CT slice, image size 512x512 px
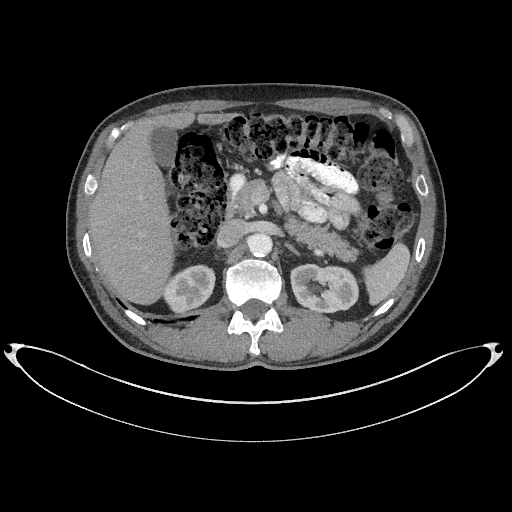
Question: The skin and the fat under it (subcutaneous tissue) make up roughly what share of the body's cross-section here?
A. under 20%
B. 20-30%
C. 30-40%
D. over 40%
Answer: A. under 20%
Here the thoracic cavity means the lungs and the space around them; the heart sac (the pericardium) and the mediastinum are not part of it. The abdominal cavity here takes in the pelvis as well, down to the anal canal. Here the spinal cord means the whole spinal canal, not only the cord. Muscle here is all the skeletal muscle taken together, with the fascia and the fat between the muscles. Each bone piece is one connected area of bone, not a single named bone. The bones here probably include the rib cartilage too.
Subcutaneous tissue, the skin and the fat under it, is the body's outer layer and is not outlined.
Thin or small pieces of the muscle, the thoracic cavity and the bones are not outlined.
abdominal cavity: (342, 320) (363, 317) (392, 296) (414, 254) (420, 206) (412, 165) (397, 126) (370, 114) (325, 114) (262, 104) (160, 113) (131, 124) (115, 140) (90, 202) (90, 239) (96, 268) (126, 307) (150, 318) (203, 313) (224, 300) (227, 268) (252, 257) (278, 269) (291, 305)
spinal cord: (251, 320) (256, 320) (259, 318) (261, 318) (263, 317) (263, 315) (267, 309) (267, 305) (265, 303) (257, 299) (250, 299) (248, 300) (240, 307) (240, 309) (242, 311) (244, 316) (246, 318) (249, 318)
thoracic cavity: (162, 322) (177, 322) (178, 321) (181, 321) (182, 320) (188, 320) (189, 319) (193, 319) (200, 314) (198, 314) (197, 315) (189, 315) (188, 316) (178, 317) (177, 318) (153, 318) (152, 319) (150, 319) (149, 318) (145, 318) (146, 319) (149, 319) (152, 321) (161, 321)
muscle: (221, 362) (242, 361) (248, 356) (251, 358) (256, 356) (264, 357) (268, 360) (273, 360) (278, 362) (282, 361) (302, 361) (303, 360) (312, 360) (317, 358) (328, 357) (358, 345) (374, 334) (382, 326) (397, 317) (407, 306) (416, 291) (416, 287) (419, 278) (421, 275) (422, 270) (427, 263) (431, 251) (433, 236) (434, 235) (434, 220) (436, 212) (436, 201) (435, 200) (435, 193) (433, 189) (433, 185) (430, 177) (429, 169) (426, 162) (426, 157) (424, 153) (423, 145) (419, 133) (413, 121) (405, 113) (400, 110) (392, 108) (388, 105) (382, 105) (369, 100) (362, 100) (361, 99) (354, 99) (345, 97) (290, 98) (275, 101) (238, 101) (237, 100) (201, 99) (200, 100) (188, 100) (180, 102) (171, 102) (154, 106) (137, 114) (124, 117) (115, 122) (110, 123) (98, 135) (93, 145) (87, 164) (81, 175) (81, 178) (78, 185) (77, 197) (76, 198) (76, 217) (77, 218) (76, 222) (76, 244) (79, 258) (88, 273) (88, 276) (93, 285) (95, 293) (100, 301) (100, 303) (110, 317) (121, 327) (130, 332) (150, 347) (162, 353) (185, 359) (210, 360) (211, 361) (220, 361); inner edge: (255, 355) (260, 353) (258, 339) (263, 330) (283, 330) (273, 305) (283, 279) (291, 305) (332, 318) (357, 319) (372, 311) (373, 316) (384, 313) (394, 302) (393, 293) (413, 255) (417, 262) (421, 260) (425, 241) (421, 236) (415, 244) (420, 212) (417, 194) (427, 196) (428, 187) (422, 173) (412, 180) (403, 144) (412, 145) (413, 133) (402, 114) (394, 116) (383, 107) (380, 111) (389, 119) (385, 121) (370, 114) (325, 114) (262, 104) (165, 112) (110, 131) (105, 143) (112, 147) (100, 177) (90, 173) (84, 184) (84, 193) (92, 196) (90, 233) (85, 232) (82, 240) (85, 255) (94, 256) (96, 270) (126, 315) (143, 325) (146, 319) (193, 319) (221, 304) (226, 292) (234, 305) (227, 331) (248, 332) (249, 351)
torso: (218, 371) (237, 371) (256, 365) (297, 370) (352, 359) (382, 345) (417, 307) (442, 261) (446, 199) (426, 133) (406, 104) (381, 92) (344, 85) (199, 84) (140, 97) (111, 112) (94, 128) (74, 170) (66, 202) (65, 246) (74, 277) (101, 323) (131, 351) (176, 365)
bones 1: (255, 355) (260, 353) (258, 339) (263, 330) (269, 329) (275, 332) (283, 330) (282, 322) (273, 305) (280, 293) (282, 279) (277, 269) (269, 262) (247, 258) (230, 266) (226, 272) (225, 289) (228, 298) (234, 305) (227, 331) (236, 334) (248, 332) (251, 337) (249, 351), around a hole outlined by (251, 320) (256, 320) (259, 318) (261, 318) (263, 317) (263, 315) (267, 309) (267, 305) (265, 303) (257, 299) (250, 299) (248, 300) (240, 307) (240, 309) (242, 311) (244, 316) (246, 318) (249, 318)
bones 2: (408, 146) (411, 146) (413, 143) (413, 133) (404, 116) (402, 114) (397, 114) (394, 116) (387, 108) (385, 107) (381, 108) (380, 110) (381, 113) (385, 115) (389, 119) (391, 119) (392, 118) (394, 118) (395, 119) (395, 121) (401, 132) (401, 138) (402, 139) (402, 141)
bones 3: (422, 196) (427, 196) (427, 195) (428, 194) (428, 187) (427, 186) (427, 184) (426, 183) (426, 181) (425, 180) (425, 178) (424, 177) (423, 174) (422, 173) (419, 173) (416, 176) (416, 177) (414, 180) (414, 187) (415, 188) (415, 189) (417, 191) (417, 192)
bones 4: (109, 147) (112, 144) (113, 141) (116, 138) (118, 137) (118, 136) (121, 133) (121, 132) (131, 123) (130, 121) (128, 121) (126, 123) (121, 125) (119, 127) (114, 127) (112, 128) (112, 129) (110, 131) (105, 141) (105, 143) (106, 145)
bones 5: (86, 195) (92, 195) (93, 194) (93, 193) (95, 191) (95, 190) (97, 187) (97, 179) (94, 176) (94, 175) (93, 175) (91, 173) (90, 173) (89, 174) (88, 174) (88, 175) (86, 178) (86, 180) (85, 181) (85, 183) (84, 184) (84, 193)
bones 6: (417, 262) (419, 262) (421, 260) (421, 259) (423, 256) (423, 254) (424, 253) (424, 249) (425, 248) (425, 241) (424, 240) (424, 238) (421, 236) (418, 239) (418, 240) (417, 241) (417, 244) (416, 245) (416, 248) (415, 249) (415, 260)
bones 7: (373, 316) (377, 316) (378, 315) (379, 315) (382, 313) (384, 313) (392, 305) (392, 304) (394, 302) (394, 298) (393, 297) (391, 297) (390, 298) (389, 298) (383, 304) (382, 304) (377, 309) (376, 309) (376, 310) (375, 311) (374, 311) (374, 312) (372, 315)
bones 8: (87, 257) (90, 257) (91, 256) (91, 246) (90, 245) (90, 240) (89, 239) (89, 234) (88, 233) (88, 232) (85, 232) (85, 233) (84, 234) (84, 235) (83, 236) (83, 239) (82, 240) (82, 245) (83, 246) (83, 250) (84, 251) (84, 253) (85, 254) (85, 255)
bones 9: (143, 325) (146, 324) (146, 321) (142, 317) (141, 317) (136, 313) (133, 312) (131, 310) (130, 310) (127, 308) (125, 308) (124, 309) (124, 312) (128, 317) (129, 317) (131, 319) (132, 319) (137, 323) (139, 323) (140, 324) (142, 324)